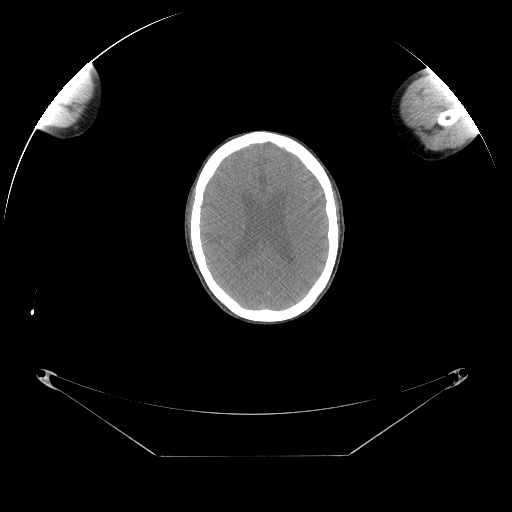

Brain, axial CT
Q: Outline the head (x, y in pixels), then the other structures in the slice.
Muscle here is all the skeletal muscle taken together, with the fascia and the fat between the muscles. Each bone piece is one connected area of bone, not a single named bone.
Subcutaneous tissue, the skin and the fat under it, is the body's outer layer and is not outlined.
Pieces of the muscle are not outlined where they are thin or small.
A: The head is outlined by 254,130 283,132 307,144 317,154 335,179 342,198 344,211 345,237 343,251 331,287 309,313 293,321 278,325 248,324 224,313 208,297 200,284 190,263 184,242 184,205 190,185 202,161 214,146 228,136. The right arm is outlined by 86,64 91,64 96,68 99,73 102,84 102,102 101,103 101,107 99,111 99,114 93,125 84,133 78,136 67,139 58,139 55,138 46,134 41,130 35,128 35,125 40,120 46,108 54,97 63,86. The bones appear in 3 outlined pieces: piece 1: 254,130 271,131 289,136 305,146 317,158 331,182 338,225 337,255 325,287 306,310 294,317 280,321 250,320 240,317 228,309 206,284 195,261 190,242 191,211 195,195 195,184 203,165 208,157 224,142 with a hole at 265,143 271,143 292,154 313,175 323,193 324,212 327,220 327,251 319,275 299,300 287,307 279,309 245,307 232,297 214,278 208,266 201,239 200,224 204,194 206,187 216,170 223,160 231,154 253,144; piece 2: 450,107 457,108 461,112 461,117 460,118 460,119 459,119 454,123 453,123 450,125 447,125 446,126 442,126 441,125 438,124 437,123 437,116 438,115 438,114 444,109 446,109 447,108 449,108; piece 3: 64,85 65,85 65,86 66,87 66,89 67,90 67,92 69,95 69,97 68,98 67,101 65,101 60,104 59,104 54,101 52,101 52,100 54,98 54,97 58,93 58,92 63,87 63,86. The left arm is outlined by 427,66 439,76 455,94 470,115 479,133 475,136 473,141 464,149 453,155 447,157 445,159 437,161 428,161 411,153 405,147 396,134 390,115 390,101 392,95 397,87 409,75 415,71 422,68 425,68. The brain is outlined by 265,143 271,143 292,154 313,175 323,193 324,212 327,220 327,251 319,275 299,300 287,307 279,309 245,307 232,297 214,278 208,266 201,239 200,224 204,194 206,187 216,170 223,160 231,154 253,144. The muscle appears in 2 outlined pieces: piece 1: 431,72 434,72 447,84 449,88 455,94 464,106 476,126 469,138 462,145 458,147 449,148 445,150 440,150 439,151 426,149 413,133 413,130 404,123 400,116 399,113 399,102 408,85 420,76 423,76 with a hole at 450,107 457,108 461,112 461,117 460,118 460,119 459,119 454,123 453,123 450,125 447,125 446,126 442,126 441,125 438,124 437,123 437,116 438,115 438,114 444,109 446,109 447,108 449,108; piece 2: 85,65 88,67 93,73 94,83 95,84 93,97 87,105 87,108 85,111 85,114 75,125 69,127 59,127 58,126 45,125 40,121 40,119 46,108 49,105 51,101 59,105 68,101 70,95 65,84.